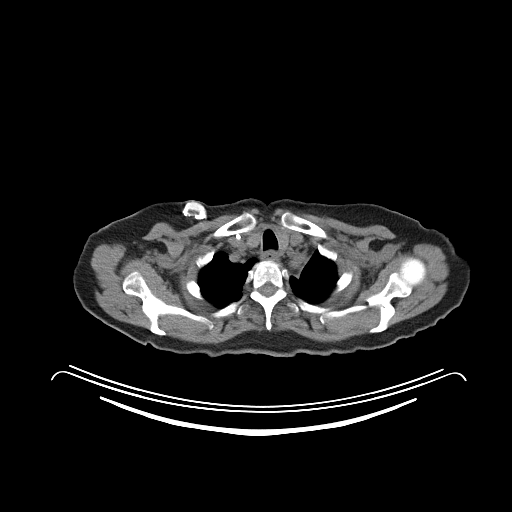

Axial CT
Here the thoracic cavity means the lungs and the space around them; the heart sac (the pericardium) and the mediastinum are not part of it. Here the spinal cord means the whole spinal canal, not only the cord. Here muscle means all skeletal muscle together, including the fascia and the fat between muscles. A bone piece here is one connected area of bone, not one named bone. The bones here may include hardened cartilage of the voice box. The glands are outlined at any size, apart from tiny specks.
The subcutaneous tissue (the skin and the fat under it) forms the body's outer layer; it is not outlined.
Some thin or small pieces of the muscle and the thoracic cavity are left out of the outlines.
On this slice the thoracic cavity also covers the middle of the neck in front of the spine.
The thyroid glands appear in 2 outlined pieces: piece 1: (277, 230) (280, 230) (283, 232) (285, 232) (288, 235) (288, 241) (287, 242) (287, 244) (286, 245) (286, 246) (283, 248) (281, 246) (281, 245) (279, 242) (279, 240) (277, 237) (277, 234) (276, 233) (276, 231); piece 2: (258, 231) (259, 232) (260, 232) (260, 238) (259, 239) (259, 241) (258, 242) (258, 243) (255, 246) (251, 246) (249, 244) (249, 242) (248, 241) (248, 239) (249, 238) (249, 237) (252, 234) (253, 234) (254, 233) (255, 233) (256, 232) (257, 232). The left arm is outlined by (404, 214) (418, 220) (422, 225) (425, 227) (435, 228) (447, 235) (454, 244) (456, 251) (459, 254) (464, 256) (470, 263) (471, 275) (470, 276) (470, 283) (467, 291) (461, 303) (448, 314) (432, 310) (402, 277) (392, 260) (393, 259) (393, 256) (398, 239) (398, 235). The torso is outlined by (250, 197) (266, 203) (280, 198) (327, 204) (374, 203) (403, 213) (391, 260) (401, 277) (432, 311) (447, 315) (433, 326) (389, 346) (327, 356) (178, 354) (143, 345) (106, 325) (80, 304) (73, 288) (73, 270) (90, 233) (152, 203) (198, 200) (216, 205). The spinal cord is outlined by (266, 283) (270, 283) (271, 284) (272, 284) (275, 287) (276, 287) (276, 289) (275, 290) (275, 291) (271, 295) (269, 295) (268, 296) (262, 294) (260, 292) (260, 291) (259, 290) (260, 287) (261, 287) (264, 284) (265, 284). The muscle appears in 2 outlined pieces: piece 1: (253, 207) (264, 212) (279, 207) (301, 210) (356, 226) (380, 224) (406, 245) (436, 245) (445, 254) (450, 268) (446, 279) (448, 289) (434, 306) (389, 327) (395, 314) (391, 301) (409, 296) (426, 276) (425, 263) (410, 255) (388, 275) (379, 291) (365, 298) (365, 304) (340, 309) (319, 305) (332, 291) (338, 293) (352, 281) (351, 270) (338, 274) (337, 252) (320, 243) (312, 249) (299, 235) (272, 226) (245, 236) (241, 234) (252, 231) (257, 219) (252, 213) (243, 211) (212, 233) (215, 238) (234, 235) (216, 252) (213, 248) (195, 259) (199, 269) (197, 279) (188, 279) (184, 286) (193, 297) (204, 298) (216, 306) (218, 309) (210, 314) (214, 318) (234, 313) (240, 316) (249, 298) (262, 307) (266, 330) (246, 331) (217, 344) (168, 336) (159, 326) (159, 317) (163, 315) (183, 316) (205, 324) (209, 330) (214, 325) (203, 314) (166, 303) (152, 292) (137, 270) (123, 278) (121, 288) (125, 294) (141, 300) (141, 310) (150, 323) (146, 329) (120, 321) (105, 312) (94, 298) (96, 281) (90, 258) (96, 246) (140, 241) (155, 223) (161, 221) (179, 230) (201, 220); inner edge: (286, 211) (292, 212) (298, 216) (302, 218) (304, 218) (307, 220) (309, 220) (311, 222) (316, 224) (326, 233) (327, 237) (326, 238) (320, 238) (317, 236) (310, 235) (300, 231) (296, 231) (295, 230) (292, 230) (287, 228) (283, 228) (281, 224) (281, 216) (282, 214); piece 2: (290, 292) (295, 296) (292, 296) (286, 302) (286, 305) (295, 314) (300, 310) (319, 315) (319, 320) (322, 324) (327, 319) (341, 317) (368, 307) (378, 307) (378, 321) (368, 330) (368, 333) (335, 342) (316, 341) (291, 330) (271, 331) (272, 311) (275, 305) (286, 298). The bones appear in 9 outlined pieces: piece 1: (410, 256) (424, 263) (424, 279) (406, 297) (394, 297) (390, 301) (394, 314) (388, 327) (382, 331) (369, 333) (379, 321) (378, 306) (327, 318) (322, 323) (319, 314) (300, 309) (295, 313) (287, 305) (292, 297) (333, 310) (365, 305) (366, 298) (379, 292) (389, 275); piece 2: (267, 259) (278, 262) (287, 269) (291, 290) (286, 297) (274, 305) (270, 317) (270, 330) (266, 329) (263, 307) (249, 297) (244, 301) (245, 305) (240, 315) (234, 312) (221, 317) (212, 316) (212, 313) (238, 300) (247, 291) (244, 283) (248, 271) (257, 262) with a hole at (266, 283) (270, 283) (271, 284) (272, 284) (275, 287) (276, 287) (276, 289) (275, 290) (275, 291) (271, 295) (269, 295) (268, 296) (262, 294) (260, 292) (260, 291) (259, 290) (260, 287) (261, 287) (264, 284) (265, 284); piece 3: (132, 271) (139, 272) (151, 292) (166, 304) (182, 307) (193, 314) (207, 317) (213, 325) (212, 328) (209, 329) (205, 323) (183, 315) (163, 314) (158, 317) (158, 326) (166, 335) (150, 331) (151, 323) (142, 310) (142, 300) (138, 296) (125, 293) (122, 288) (124, 278); piece 4: (286, 211) (292, 212) (298, 216) (302, 218) (304, 218) (307, 220) (309, 220) (311, 222) (316, 224) (326, 233) (327, 237) (326, 238) (320, 238) (317, 236) (310, 235) (300, 231) (296, 231) (295, 230) (292, 230) (287, 228) (283, 228) (281, 224) (281, 216) (282, 214); piece 5: (243, 212) (248, 212) (252, 214) (255, 217) (256, 219) (256, 223) (254, 228) (252, 230) (250, 231) (242, 232) (241, 233) (237, 233) (236, 234) (230, 234) (225, 236) (219, 236) (218, 237) (215, 237) (213, 236) (213, 233) (220, 226) (230, 221); piece 6: (346, 271) (351, 271) (352, 272) (352, 278) (351, 279) (351, 281) (343, 289) (342, 289) (340, 291) (339, 291) (338, 292) (334, 292) (333, 291) (335, 288) (335, 286) (336, 285) (336, 282) (337, 281) (337, 280) (338, 279) (339, 276); piece 7: (188, 280) (194, 280) (197, 282) (197, 283) (198, 284) (198, 285) (200, 288) (200, 292) (201, 293) (201, 294) (203, 297) (203, 299) (198, 299) (196, 297) (195, 297) (194, 296) (193, 296) (187, 290) (187, 289) (185, 286) (185, 284) (186, 283) (186, 282); piece 8: (213, 249) (214, 250) (214, 254) (213, 255) (213, 256) (212, 257) (211, 260) (207, 264) (204, 265) (201, 268) (199, 268) (197, 266) (197, 265) (196, 264) (196, 259) (199, 256) (201, 256) (202, 255) (205, 254) (207, 252) (208, 252) (209, 251) (210, 251); piece 9: (318, 244) (320, 244) (324, 247) (325, 247) (330, 250) (332, 250) (333, 251) (336, 252) (336, 253) (337, 254) (337, 257) (336, 258) (336, 260) (335, 261) (333, 261) (331, 259) (330, 259) (329, 258) (327, 258) (325, 256) (322, 255) (319, 252) (319, 251) (318, 250). The thoracic cavity is outlined by (265, 227) (276, 229) (283, 249) (289, 234) (296, 235) (335, 263) (338, 277) (325, 299) (317, 304) (296, 296) (288, 269) (271, 258) (257, 261) (247, 271) (238, 299) (218, 308) (203, 296) (197, 281) (200, 269) (237, 234) (249, 236) (248, 244) (255, 247) (259, 230).